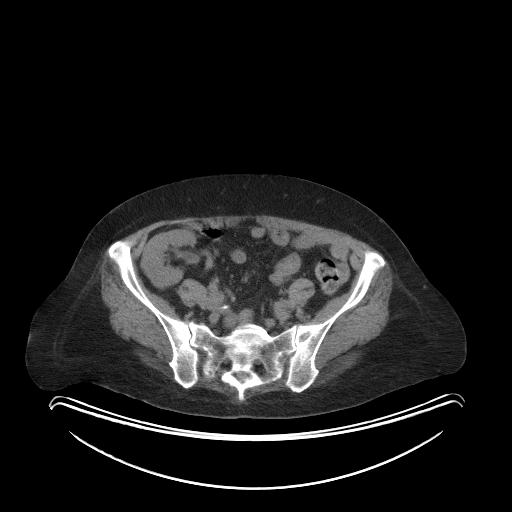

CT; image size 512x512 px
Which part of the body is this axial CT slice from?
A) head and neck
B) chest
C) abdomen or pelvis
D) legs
Answer: C) abdomen or pelvis
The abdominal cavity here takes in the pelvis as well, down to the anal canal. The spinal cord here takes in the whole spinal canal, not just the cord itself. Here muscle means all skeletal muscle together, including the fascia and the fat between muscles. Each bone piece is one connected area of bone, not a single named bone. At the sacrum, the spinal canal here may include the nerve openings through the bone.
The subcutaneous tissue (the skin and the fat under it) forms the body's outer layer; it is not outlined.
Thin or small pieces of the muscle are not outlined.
torso: 219 173; 299 177; 341 191; 373 210; 395 231; 460 318; 467 347; 461 368; 354 407; 290 419; 224 419; 183 414; 89 382; 53 391; 38 387; 24 359; 31 319; 36 308; 67 274; 93 226; 112 208; 143 191; 185 178
bones: 119 239; 131 241; 137 280; 161 312; 218 336; 244 323; 272 336; 321 323; 349 297; 365 251; 385 264; 327 331; 306 389; 288 388; 285 371; 246 389; 241 401; 219 373; 208 378; 199 365; 193 386; 176 382; 163 326; 109 257, around holes outlined by 240 372; 243 372; 244 373; 246 373; 247 374; 248 374; 248 376; 247 376; 246 377; 245 377; 243 379; 243 381; 240 381; 234 375; 234 373; 239 373 and by 257 361; 259 361; 261 363; 261 365; 263 367; 263 369; 261 371; 257 371; 255 369; 255 363 and by 226 359; 227 359; 228 359; 229 360; 230 361; 230 362; 230 363; 231 364; 231 365; 231 366; 230 367; 229 368; 228 368; 227 368; 226 368; 225 368; 224 367; 223 366; 223 365; 223 364; 223 363; 223 362; 224 361; 225 360
muscle 1: 247 214; 273 215; 337 229; 369 244; 378 250; 383 256; 376 250; 365 250; 355 284; 342 305; 333 314; 321 322; 300 323; 297 308; 289 300; 288 296; 288 290; 295 280; 305 278; 313 283; 315 290; 314 293; 302 307; 302 310; 311 317; 314 316; 316 312; 328 301; 340 296; 350 288; 355 275; 355 270; 350 263; 350 247; 341 238; 320 230; 293 230; 279 227; 267 227; 253 219; 242 220; 233 226; 216 228; 192 228; 179 223; 162 225; 148 233; 135 262; 144 285; 151 292; 161 296; 173 306; 181 318; 188 316; 188 321; 175 318; 161 311; 147 296; 135 271; 131 253; 132 241; 121 239; 153 222; 165 219
muscle 2: 384 257; 389 263; 393 273; 393 284; 388 302; 389 319; 386 325; 379 335; 363 346; 363 354; 354 365; 325 384; 307 389; 315 381; 320 372; 316 366; 315 361; 325 336; 338 317; 355 307; 364 297; 375 274; 385 266; 386 261
muscle 3: 106 248; 108 257; 117 266; 119 276; 124 285; 156 317; 162 326; 171 348; 171 358; 168 365; 172 371; 173 379; 180 386; 166 378; 159 371; 144 364; 133 353; 132 346; 111 328; 109 311; 103 303; 100 293; 99 266; 102 254
muscle 4: 199 366; 202 374; 208 379; 213 379; 219 374; 220 381; 233 387; 237 392; 238 400; 241 402; 245 399; 246 390; 275 382; 285 372; 284 385; 293 392; 271 391; 255 395; 245 402; 233 403; 226 395; 218 391; 192 387; 199 379
muscle 5: 188 278; 190 279; 193 279; 199 282; 203 286; 204 288; 203 294; 201 296; 201 297; 199 299; 197 303; 194 304; 192 306; 188 306; 184 304; 181 301; 181 299; 177 292; 177 289; 179 287; 179 286; 184 281; 184 280
abdominal cavity: 245 220; 341 239; 349 247; 354 270; 349 288; 311 316; 303 307; 315 293; 314 283; 305 277; 295 279; 287 296; 299 323; 273 335; 254 322; 218 335; 203 322; 181 317; 145 285; 139 273; 136 262; 149 233; 174 224; 228 228 with a hole at 188 278; 190 279; 193 279; 199 282; 203 286; 204 288; 203 294; 201 296; 201 297; 199 299; 197 303; 194 304; 192 306; 188 306; 184 304; 181 301; 181 299; 177 292; 177 289; 179 287; 179 286; 184 281; 184 280
spinal cord 1: 240 372; 243 372; 244 373; 246 373; 247 374; 248 374; 248 376; 247 376; 246 377; 245 377; 243 379; 243 381; 240 381; 234 375; 234 373; 239 373
spinal cord 2: 257 361; 259 361; 261 363; 261 365; 263 367; 263 369; 261 371; 257 371; 255 369; 255 363
spinal cord 3: 226 359; 227 359; 228 359; 229 360; 230 361; 230 362; 230 363; 231 364; 231 365; 231 366; 230 367; 229 368; 228 368; 227 368; 226 368; 225 368; 224 367; 223 366; 223 365; 223 364; 223 363; 223 362; 224 361; 225 360